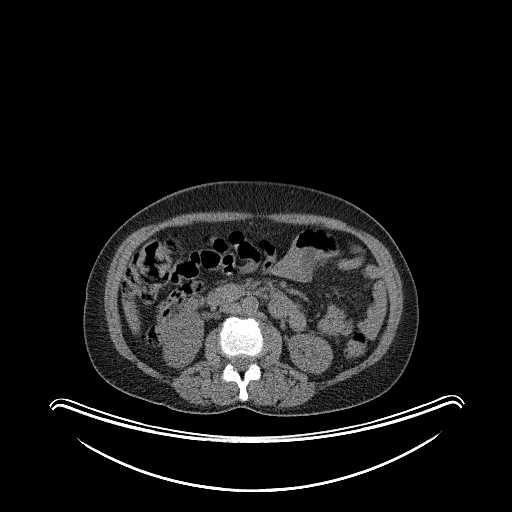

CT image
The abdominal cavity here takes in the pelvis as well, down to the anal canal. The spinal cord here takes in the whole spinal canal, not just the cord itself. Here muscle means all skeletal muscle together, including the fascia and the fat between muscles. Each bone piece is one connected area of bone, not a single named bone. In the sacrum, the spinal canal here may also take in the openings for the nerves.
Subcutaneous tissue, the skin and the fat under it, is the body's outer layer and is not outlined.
{"spinal_cord":[[[238,355],[245,355],[246,356],[248,356],[249,357],[251,357],[253,360],[252,361],[252,362],[245,370],[243,370],[242,371],[240,371],[238,369],[237,369],[232,364],[232,362],[231,361],[232,358],[233,357],[234,357],[235,356],[237,356]]],"muscle":[[[211,211],[326,216],[341,220],[378,239],[392,257],[403,292],[400,322],[386,353],[361,372],[318,391],[301,404],[290,407],[258,406],[247,400],[249,382],[257,381],[262,376],[256,360],[266,345],[262,326],[271,325],[279,332],[281,362],[306,374],[311,380],[323,380],[367,358],[378,343],[388,317],[388,293],[380,265],[359,237],[320,224],[253,217],[196,221],[156,231],[130,254],[117,291],[117,310],[127,345],[141,361],[162,374],[177,376],[204,360],[206,337],[211,330],[219,328],[218,345],[228,360],[220,378],[224,382],[236,383],[239,400],[226,405],[191,403],[171,386],[145,373],[122,356],[110,338],[104,310],[107,273],[117,248],[143,226],[180,214]]],"abdominal_cavity":[[[253,218],[320,225],[350,233],[367,246],[387,293],[385,326],[367,357],[329,377],[311,379],[280,360],[283,344],[276,327],[261,326],[252,316],[230,315],[206,335],[204,359],[177,375],[141,360],[126,341],[118,310],[122,275],[134,250],[168,227]]],"bones":[{"outer":[[230,316],[252,317],[258,320],[265,336],[264,348],[255,359],[260,368],[261,376],[257,380],[248,382],[246,386],[248,397],[245,401],[241,401],[238,397],[239,387],[236,382],[224,381],[221,378],[222,371],[229,360],[221,352],[218,333],[223,321]],"hole":[[238,355],[245,355],[246,356],[248,356],[249,357],[251,357],[253,360],[252,361],[252,362],[245,370],[243,370],[242,371],[240,371],[238,369],[237,369],[232,364],[232,362],[231,361],[232,358],[233,357],[234,357],[235,356],[237,356]]}],"torso":[[[219,180],[269,180],[319,189],[360,207],[387,230],[410,269],[419,308],[418,331],[411,357],[391,388],[362,404],[311,415],[265,415],[243,407],[197,414],[134,397],[100,377],[88,357],[82,326],[86,283],[100,250],[123,222],[146,205],[176,190]]]}